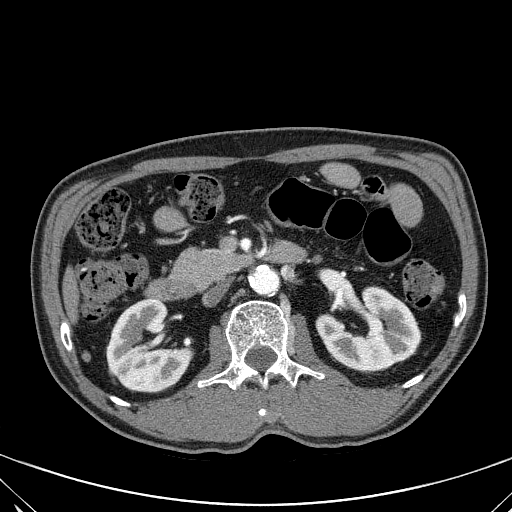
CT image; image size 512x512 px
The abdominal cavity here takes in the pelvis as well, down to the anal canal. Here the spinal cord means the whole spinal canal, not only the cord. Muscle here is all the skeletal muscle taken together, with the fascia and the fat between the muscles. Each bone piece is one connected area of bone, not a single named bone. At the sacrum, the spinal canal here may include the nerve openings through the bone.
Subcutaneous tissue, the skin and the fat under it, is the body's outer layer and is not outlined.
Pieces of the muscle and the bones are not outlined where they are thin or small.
{"muscle":[{"outer":[[326,143],[359,143],[370,145],[378,148],[389,148],[390,149],[411,150],[412,151],[433,151],[439,153],[449,159],[453,164],[461,179],[464,188],[465,198],[467,201],[472,219],[472,225],[474,230],[476,245],[479,256],[478,285],[476,293],[476,303],[473,313],[466,328],[465,338],[452,361],[440,376],[427,388],[403,414],[393,422],[383,428],[362,435],[312,436],[295,432],[282,424],[275,423],[270,425],[266,423],[262,425],[251,436],[237,442],[217,442],[216,441],[199,441],[198,440],[196,441],[191,440],[182,442],[159,438],[140,431],[117,417],[102,411],[91,403],[79,391],[77,388],[77,384],[62,362],[52,335],[47,316],[44,311],[44,307],[41,298],[40,263],[41,262],[41,248],[43,239],[43,230],[51,206],[56,197],[69,185],[79,180],[88,178],[97,173],[102,173],[111,169],[123,167],[128,164],[137,163],[146,159],[160,157],[173,157],[174,156],[189,156],[190,155],[215,155],[216,156],[242,157],[249,155],[263,155],[284,149]],"holes":[[[332,157],[413,173],[454,227],[461,254],[457,293],[465,294],[466,312],[458,327],[451,322],[419,382],[355,384],[317,355],[299,312],[284,313],[287,353],[326,375],[302,374],[293,389],[279,376],[266,389],[249,379],[236,390],[225,383],[197,387],[231,360],[228,313],[209,329],[207,364],[171,395],[122,406],[84,374],[75,347],[67,351],[60,338],[66,318],[58,279],[65,236],[85,203],[108,186],[150,174]],[[260,408],[265,408],[266,409],[266,410],[267,411],[267,413],[265,415],[264,415],[263,416],[261,416],[260,415],[259,415],[259,414],[258,413],[258,411],[259,410],[259,409]]]}],"bones":[{"outer":[[249,300],[269,301],[278,305],[284,312],[288,355],[300,364],[325,373],[323,379],[302,374],[293,389],[279,376],[271,379],[266,389],[249,379],[236,390],[225,383],[197,387],[198,380],[221,372],[231,360],[225,335],[226,324],[231,310],[236,305]],"hole":[[256,346],[265,346],[266,347],[268,347],[270,348],[276,354],[276,359],[264,371],[262,372],[250,366],[248,364],[247,364],[245,361],[245,357],[247,353],[249,351],[249,350],[250,350],[252,348]]},[[459,293],[464,293],[465,294],[465,296],[466,297],[466,312],[459,326],[455,328],[453,326],[453,317],[455,313],[456,313],[459,309],[459,307],[458,306],[458,302],[457,301],[457,298],[458,297],[458,294]],[[63,320],[66,320],[68,322],[69,324],[69,326],[70,327],[70,335],[71,336],[71,339],[72,340],[72,343],[73,344],[73,347],[72,348],[72,350],[70,352],[66,350],[60,338],[60,324]],[[421,372],[422,372],[424,374],[424,376],[423,377],[423,378],[419,382],[418,382],[417,383],[416,383],[415,384],[414,384],[407,388],[402,388],[401,387],[401,384],[402,383],[405,382],[407,380],[410,379],[412,377],[413,377],[414,376],[419,374]]],"torso":[[[279,126],[343,127],[417,136],[438,142],[457,156],[473,190],[488,258],[485,319],[475,345],[411,424],[362,445],[310,447],[267,434],[242,452],[190,454],[114,432],[60,387],[41,352],[31,298],[30,256],[44,200],[66,174],[101,158],[187,135]]],"abdominal_cavity":[[[332,157],[413,173],[452,222],[461,254],[457,308],[445,342],[422,371],[401,383],[355,384],[317,355],[301,313],[249,299],[210,327],[209,361],[171,395],[130,402],[84,374],[58,279],[65,236],[85,203],[108,186],[150,174],[248,160],[289,164]]],"spinal_cord":[[[256,346],[265,346],[266,347],[268,347],[270,348],[276,354],[276,359],[264,371],[262,372],[250,366],[248,364],[247,364],[245,361],[245,357],[247,353],[249,351],[249,350],[250,350],[252,348]]]}